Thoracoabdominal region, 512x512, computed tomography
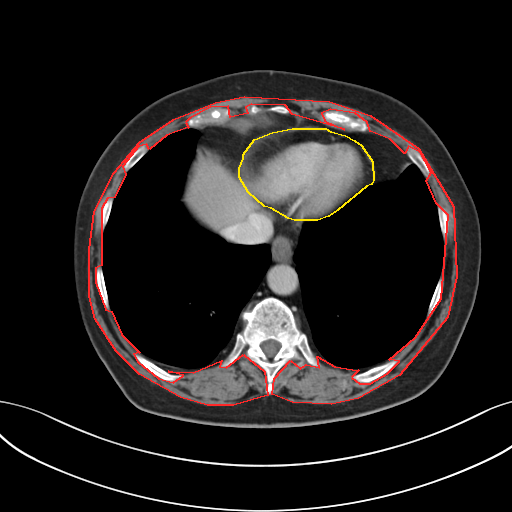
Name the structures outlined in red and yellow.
red: muscle; yellow: pericardium.
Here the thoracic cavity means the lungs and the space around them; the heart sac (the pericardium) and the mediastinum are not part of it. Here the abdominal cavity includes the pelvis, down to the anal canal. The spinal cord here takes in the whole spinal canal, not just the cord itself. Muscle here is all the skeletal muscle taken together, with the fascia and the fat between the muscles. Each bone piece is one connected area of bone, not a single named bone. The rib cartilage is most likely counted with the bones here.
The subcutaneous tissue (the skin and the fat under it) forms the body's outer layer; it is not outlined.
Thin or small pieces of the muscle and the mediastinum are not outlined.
Outlined structures:
muscle: (244, 96) (329, 101) (370, 115) (418, 148) (453, 206) (456, 276) (447, 317) (399, 375) (358, 398) (331, 404) (292, 402) (272, 394) (274, 378) (290, 360) (300, 368) (306, 364) (319, 367) (317, 356) (334, 366) (358, 370) (351, 377) (359, 383) (370, 383) (387, 373) (399, 361) (389, 359) (415, 337) (441, 298) (448, 215) (436, 203) (426, 180) (431, 172) (420, 152) (408, 146) (404, 153) (390, 139) (370, 131) (367, 122) (355, 113) (330, 109) (321, 113) (324, 120) (344, 129) (292, 114) (285, 105) (251, 104) (245, 107) (247, 113) (230, 117) (228, 106) (210, 107) (189, 118) (185, 122) (188, 127) (166, 135) (149, 149) (146, 144) (138, 146) (122, 166) (125, 174) (114, 197) (107, 198) (101, 208) (101, 265) (95, 268) (95, 282) (105, 309) (111, 311) (121, 334) (139, 352) (133, 354) (137, 361) (158, 378) (173, 382) (183, 375) (168, 371) (193, 372) (221, 360) (219, 366) (226, 367) (243, 354) (264, 371) (267, 395) (233, 405) (207, 405) (180, 397) (139, 374) (116, 351) (95, 319) (89, 296) (89, 249) (94, 211) (114, 172) (139, 142) (173, 119) (215, 102)
pericardium: (292, 128) (325, 128) (330, 131) (345, 135) (354, 140) (361, 145) (372, 161) (373, 180) (371, 184) (366, 186) (337, 210) (328, 216) (317, 220) (294, 220) (288, 218) (271, 208) (264, 206) (248, 192) (239, 177) (239, 168) (243, 158) (243, 154) (254, 139) (272, 132)
abdominal cavity 1: (198, 144) (203, 144) (219, 150) (234, 164) (236, 164) (238, 170) (238, 177) (247, 192) (256, 201) (264, 207) (266, 207) (271, 212) (272, 230) (269, 237) (260, 242) (229, 242) (219, 235) (208, 231) (199, 225) (191, 217) (180, 198) (184, 189) (186, 174) (195, 155)
abdominal cavity 2: (264, 112) (274, 112) (282, 115) (296, 114) (301, 116) (302, 120) (298, 127) (292, 127) (287, 129) (272, 131) (250, 140) (247, 137) (242, 137) (241, 135) (236, 133) (233, 129) (231, 129) (225, 125) (219, 125) (234, 115) (242, 113) (243, 114) (256, 115)
thoracic cavity 1: (187, 128) (195, 128) (200, 134) (179, 198) (187, 213) (199, 226) (229, 243) (267, 244) (270, 263) (239, 313) (233, 334) (234, 343) (227, 354) (210, 367) (176, 372) (156, 364) (138, 351) (122, 334) (111, 310) (101, 258) (103, 233) (114, 198) (126, 173) (160, 140)
thoracic cavity 2: (410, 162) (417, 167) (431, 190) (443, 241) (440, 273) (429, 300) (425, 318) (414, 337) (387, 360) (362, 371) (334, 365) (317, 355) (304, 311) (302, 288) (294, 260) (294, 253) (303, 224) (306, 221) (317, 221) (328, 217) (363, 190) (397, 176) (407, 168)
mediastinum 1: (269, 209) (288, 219) (305, 221) (301, 227) (293, 260) (301, 288) (303, 311) (316, 354) (309, 343) (308, 336) (298, 326) (293, 311) (281, 299) (266, 296) (251, 307) (245, 307) (271, 263) (271, 250) (267, 243) (246, 244) (260, 243) (270, 237) (273, 222) (272, 212)
mediastinum 2: (303, 117) (310, 118) (334, 128) (359, 132) (371, 132) (382, 136) (397, 145) (405, 154) (409, 162) (406, 168) (394, 177) (390, 179) (382, 180) (366, 188) (371, 185) (374, 180) (374, 164) (370, 155) (362, 145) (345, 134) (330, 130) (325, 127) (299, 127) (303, 120)
mediastinum 3: (206, 126) (225, 126) (227, 128) (233, 130) (236, 134) (241, 136) (242, 138) (247, 138) (250, 141) (251, 140) (251, 142) (242, 154) (242, 158) (238, 169) (237, 164) (234, 163) (219, 149) (203, 143) (198, 143) (198, 140) (201, 134) (196, 128) (201, 128)
bones 1: (266, 297) (275, 297) (290, 308) (297, 326) (307, 336) (320, 362) (319, 366) (306, 363) (300, 367) (295, 359) (288, 360) (276, 372) (272, 381) (273, 390) (269, 395) (265, 392) (265, 371) (243, 353) (234, 362) (220, 366) (232, 349) (236, 334) (245, 325) (240, 313), around a hole outlined by (270, 339) (271, 339) (272, 340) (275, 340) (276, 341) (277, 341) (280, 344) (280, 347) (279, 348) (279, 349) (277, 351) (277, 352) (271, 358) (269, 358) (265, 354) (265, 353) (263, 351) (263, 350) (260, 346) (260, 345) (262, 342) (263, 342) (266, 340) (269, 340)
bones 2: (326, 110) (337, 111) (338, 112) (344, 112) (349, 114) (355, 114) (360, 118) (363, 119) (366, 122) (366, 123) (370, 127) (370, 130) (369, 131) (352, 130) (350, 128) (345, 127) (343, 125) (341, 125) (338, 123) (328, 121) (323, 118) (323, 115) (322, 114) (322, 113)
bones 3: (221, 106) (226, 106) (231, 110) (231, 112) (228, 117) (219, 119) (217, 121) (214, 121) (211, 123) (205, 123) (202, 125) (198, 125) (195, 127) (189, 127) (188, 126) (186, 122) (189, 119) (193, 118) (197, 115) (200, 115) (204, 111) (210, 108) (216, 108)
bones 4: (391, 359) (398, 359) (398, 361) (387, 372) (381, 375) (379, 377) (374, 379) (370, 382) (359, 382) (355, 380) (352, 377) (353, 375) (357, 373) (359, 373) (360, 372) (365, 371) (369, 368) (371, 368) (374, 366) (376, 366) (379, 364) (381, 364)
bones 5: (135, 353) (139, 353) (143, 355) (145, 357) (152, 361) (156, 365) (163, 368) (168, 372) (172, 373) (173, 374) (182, 375) (182, 377) (178, 378) (173, 381) (164, 380) (158, 377) (148, 369) (147, 369) (139, 361) (138, 361) (138, 360) (134, 356) (134, 354)
bones 6: (408, 147) (412, 147) (414, 148) (416, 150) (417, 150) (422, 156) (422, 157) (426, 162) (427, 164) (427, 166) (429, 169) (429, 171) (430, 172) (429, 177) (426, 178) (423, 175) (423, 174) (418, 168) (418, 167) (414, 163) (410, 161) (410, 160) (406, 155) (406, 149)
bones 7: (97, 266) (101, 266) (101, 269) (103, 273) (103, 278) (105, 283) (105, 287) (107, 292) (108, 302) (110, 307) (110, 309) (109, 310) (106, 309) (102, 301) (102, 299) (101, 298) (101, 296) (97, 286) (97, 283) (96, 282) (96, 275) (95, 274) (95, 271)
bones 8: (440, 277) (442, 277) (444, 281) (443, 283) (442, 292) (434, 311) (432, 313) (431, 316) (427, 319) (426, 318) (426, 314) (428, 310) (428, 306) (429, 305) (430, 300) (432, 297) (432, 295) (434, 292) (434, 290) (436, 287) (437, 282)
bones 9: (251, 105) (255, 105) (258, 107) (262, 107) (263, 108) (271, 107) (275, 105) (276, 106) (285, 106) (290, 110) (290, 113) (288, 114) (282, 114) (281, 113) (278, 113) (274, 111) (264, 111) (263, 112) (257, 113) (256, 114) (250, 114) (246, 111) (246, 107) (248, 107)
bones 10: (141, 145) (146, 145) (148, 147) (148, 150) (140, 158) (140, 159) (133, 166) (132, 166) (126, 172) (124, 170) (124, 168) (123, 167) (123, 166) (124, 165) (124, 164) (125, 163) (125, 162) (127, 160) (127, 159) (131, 155) (131, 154) (138, 147) (139, 147)
bones 11: (437, 205) (440, 205) (442, 207) (443, 207) (445, 209) (445, 210) (446, 211) (446, 214) (447, 215) (447, 235) (446, 236) (446, 239) (445, 240) (443, 240) (442, 233) (441, 232) (441, 230) (440, 229) (440, 225) (439, 224) (439, 218) (438, 217) (438, 211) (437, 210)
bones 12: (109, 198) (112, 198) (113, 200) (112, 201) (112, 205) (111, 206) (111, 210) (109, 214) (109, 217) (108, 218) (107, 223) (103, 231) (101, 230) (101, 226) (100, 225) (100, 220) (101, 219) (101, 212) (102, 211) (102, 208) (103, 207) (103, 205) (105, 201)
spinal cord: (270, 339) (271, 339) (272, 340) (275, 340) (276, 341) (277, 341) (280, 344) (280, 347) (279, 348) (279, 349) (277, 351) (277, 352) (271, 358) (269, 358) (265, 354) (265, 353) (263, 351) (263, 350) (260, 346) (260, 345) (262, 342) (263, 342) (266, 340) (269, 340)
torso: (252, 69) (323, 76) (375, 88) (398, 98) (434, 129) (469, 189) (481, 232) (475, 302) (447, 367) (426, 391) (411, 400) (351, 419) (296, 427) (248, 428) (194, 423) (134, 406) (89, 340) (76, 298) (73, 233) (81, 192) (100, 154) (115, 134) (154, 100) (215, 76)